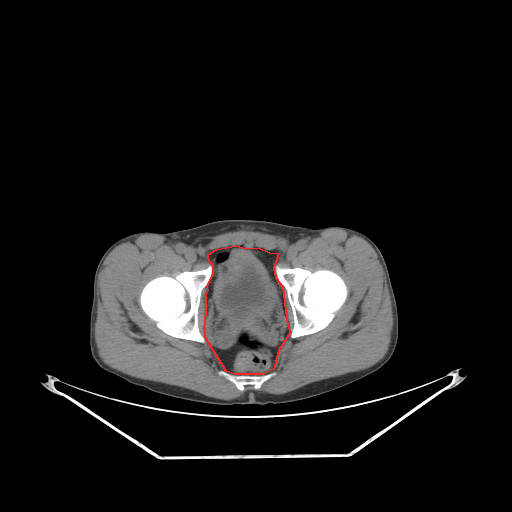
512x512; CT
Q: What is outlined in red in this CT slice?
A: red: abdominal cavity.
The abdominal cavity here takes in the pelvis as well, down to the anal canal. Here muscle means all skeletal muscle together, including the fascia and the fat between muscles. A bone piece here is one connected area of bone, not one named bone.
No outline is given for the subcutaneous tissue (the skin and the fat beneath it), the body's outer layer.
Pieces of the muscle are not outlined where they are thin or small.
abdominal cavity: [[236,245],[245,248],[258,247],[269,252],[278,253],[273,268],[275,277],[282,286],[287,326],[290,332],[278,350],[273,369],[263,374],[234,374],[226,371],[205,337],[206,294],[208,290],[207,286],[213,273],[213,266],[208,259],[208,254],[216,249]]
torso: [[226,219],[265,220],[309,228],[337,225],[367,235],[383,255],[398,308],[398,339],[390,359],[377,371],[336,390],[299,401],[265,405],[227,406],[178,399],[134,385],[100,368],[91,355],[88,326],[94,273],[106,249],[118,239],[132,233],[171,232]]
bones 1: [[209,264],[212,266],[211,277],[207,285],[202,289],[197,310],[198,328],[204,337],[205,342],[202,343],[193,340],[173,337],[162,331],[141,308],[139,297],[143,287],[150,280],[157,276],[160,275],[173,276],[183,271],[200,270],[204,269]]
bones 2: [[275,264],[278,264],[281,267],[301,267],[308,269],[310,271],[322,268],[328,269],[335,272],[343,279],[348,289],[347,297],[327,326],[311,334],[298,336],[295,338],[290,337],[290,333],[294,323],[293,313],[287,297],[287,292],[276,277],[274,268]]
bones 3: [[220,370],[224,370],[226,372],[228,372],[234,375],[263,375],[271,372],[275,372],[276,374],[265,381],[258,389],[255,389],[254,386],[251,384],[247,384],[244,386],[244,390],[240,390],[238,389],[231,381],[228,380],[223,376],[219,375],[218,372]]
muscle 1: [[329,228],[343,229],[363,237],[375,251],[384,272],[393,323],[388,349],[373,365],[282,394],[255,391],[252,396],[219,399],[187,388],[131,376],[109,366],[100,357],[94,334],[98,272],[121,239],[162,234],[175,241],[192,242],[238,230],[299,238]] with a hole at [[236,245],[277,252],[275,263],[281,267],[331,270],[348,289],[327,326],[284,340],[271,370],[276,374],[258,389],[251,384],[238,389],[218,374],[223,366],[206,339],[202,343],[165,333],[139,302],[143,287],[153,278],[204,269],[210,263],[210,251]]
muscle 2: [[283,287],[286,292],[286,297],[289,303],[289,305],[291,309],[291,312],[292,313],[292,322],[293,323],[292,324],[292,327],[290,331],[289,327],[288,326],[288,318],[287,317],[287,312],[286,311],[286,304],[285,303],[285,300],[284,299]]